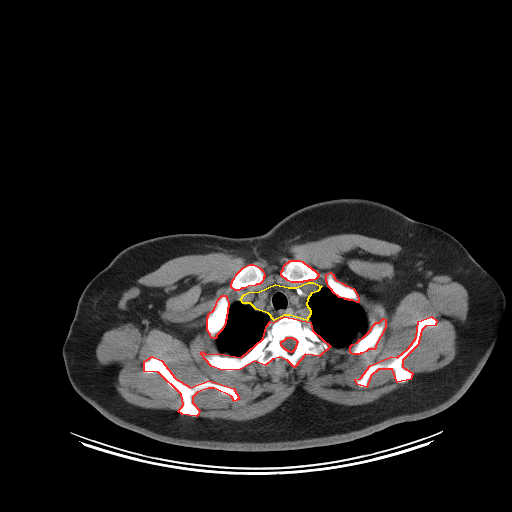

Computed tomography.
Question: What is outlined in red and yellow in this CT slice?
Answer: red: bones; yellow: mediastinum.
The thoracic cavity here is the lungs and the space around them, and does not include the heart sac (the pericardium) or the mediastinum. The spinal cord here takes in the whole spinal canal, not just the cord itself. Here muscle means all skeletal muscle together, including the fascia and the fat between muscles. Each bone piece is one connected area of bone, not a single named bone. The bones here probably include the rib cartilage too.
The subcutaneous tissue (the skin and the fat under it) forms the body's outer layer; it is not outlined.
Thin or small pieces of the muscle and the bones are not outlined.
Outlines:
bones 1: [[284,316],[310,322],[312,330],[330,346],[319,356],[305,354],[294,367],[287,360],[279,357],[272,359],[265,365],[254,361],[240,369],[222,370],[211,366],[200,353],[202,351],[205,354],[218,353],[241,357],[263,338],[266,326],[270,321],[273,322]], around a hole outlined by [[287,337],[292,337],[293,338],[294,338],[297,341],[297,342],[296,343],[296,345],[295,346],[295,348],[291,352],[290,352],[289,351],[288,351],[287,350],[286,350],[281,345],[281,341],[282,341],[283,340],[284,340]]
bones 2: [[152,356],[161,360],[175,378],[190,387],[209,380],[233,388],[239,398],[234,401],[231,396],[214,388],[208,388],[197,392],[192,397],[192,402],[199,410],[198,414],[196,416],[182,414],[178,411],[183,404],[181,394],[158,372],[144,371],[144,361]]
bones 3: [[431,316],[436,320],[435,325],[425,326],[421,330],[417,345],[402,360],[402,366],[412,373],[410,379],[397,382],[392,369],[378,369],[370,376],[366,387],[357,384],[355,379],[360,378],[370,365],[391,356],[397,357],[408,348],[416,337],[418,321]]
bones 4: [[290,260],[300,260],[302,261],[308,266],[309,266],[312,269],[313,269],[318,274],[318,276],[315,279],[313,280],[308,280],[307,281],[303,281],[302,282],[291,282],[287,280],[281,275],[281,271],[283,269],[283,267],[284,265]]
bones 5: [[222,295],[225,295],[226,296],[226,298],[228,302],[228,307],[227,308],[226,319],[225,320],[225,323],[221,330],[216,335],[216,337],[215,338],[213,338],[211,337],[210,334],[207,330],[207,317],[208,316],[208,314],[214,309],[218,299]]
bones 6: [[249,264],[253,264],[259,267],[262,270],[264,274],[264,276],[263,277],[263,279],[262,281],[259,284],[256,284],[255,285],[248,286],[244,288],[241,288],[238,290],[235,290],[231,287],[231,283],[232,282],[232,280],[234,278],[236,274],[243,267]]
bones 7: [[383,318],[385,319],[385,327],[375,345],[375,348],[374,349],[368,349],[366,351],[362,353],[360,353],[359,354],[353,354],[351,353],[350,352],[350,346],[352,344],[357,342],[359,340],[359,339],[362,338],[371,329],[372,326],[376,322],[379,322]]
bones 8: [[330,272],[333,274],[333,276],[336,280],[341,282],[345,285],[347,285],[353,288],[358,297],[358,302],[356,302],[352,300],[349,300],[348,299],[345,299],[344,298],[339,297],[332,291],[332,290],[328,286],[327,282],[326,281],[326,274]]
mediastinum: [[308,282],[313,282],[321,286],[317,291],[311,293],[307,299],[306,304],[310,310],[310,314],[306,320],[290,315],[284,315],[274,320],[268,313],[256,309],[250,303],[243,303],[240,299],[244,294],[248,292],[259,291],[275,284],[288,287],[296,287]]
thoracic cavity 1: [[322,286],[328,287],[339,298],[358,303],[361,306],[365,314],[367,321],[366,333],[362,337],[359,338],[357,341],[348,346],[336,347],[333,345],[330,345],[320,338],[312,328],[311,322],[309,320],[311,310],[308,307],[307,302],[310,295],[317,292]]
thoracic cavity 2: [[237,300],[240,300],[243,304],[250,304],[256,310],[268,314],[273,320],[273,321],[270,320],[266,324],[265,333],[262,338],[251,349],[241,356],[234,356],[228,354],[225,351],[221,351],[216,342],[217,335],[222,330],[226,323],[228,308],[232,303]]
torso: [[346,197],[383,202],[414,220],[446,231],[501,287],[505,311],[494,347],[455,403],[432,416],[394,424],[348,442],[279,451],[228,451],[169,444],[126,429],[106,418],[74,390],[62,347],[78,299],[92,278],[121,250],[174,233],[260,235],[304,206]]
muscle: [[338,233],[402,247],[393,261],[394,302],[423,292],[435,275],[465,287],[467,317],[444,367],[360,405],[298,388],[272,411],[235,421],[199,417],[193,402],[208,389],[237,402],[229,385],[206,379],[190,386],[152,355],[143,371],[161,375],[182,404],[177,411],[144,408],[127,402],[116,375],[99,363],[96,346],[113,327],[175,329],[160,317],[156,290],[136,282],[166,261],[223,250],[271,259],[292,244]] with holes at [[330,272],[355,291],[367,333],[385,319],[374,349],[353,354],[349,345],[331,345],[319,356],[303,355],[294,367],[279,357],[234,370],[213,367],[201,355],[228,353],[207,330],[208,314],[222,295],[229,306],[248,292],[275,284],[313,282],[327,287]] and at [[431,316],[436,320],[435,325],[425,326],[421,330],[417,345],[402,360],[402,366],[412,373],[410,379],[397,382],[392,369],[378,369],[370,376],[366,387],[357,384],[355,379],[360,378],[370,365],[391,356],[397,357],[408,348],[416,337],[418,321]] and at [[290,260],[300,260],[302,261],[308,266],[309,266],[312,269],[313,269],[318,274],[318,276],[315,279],[313,280],[308,280],[307,281],[303,281],[302,282],[291,282],[287,280],[281,275],[281,271],[283,269],[283,267],[284,265]] and at [[249,264],[253,264],[259,267],[262,270],[264,274],[264,276],[263,277],[263,279],[262,281],[259,284],[256,284],[255,285],[248,286],[244,288],[241,288],[238,290],[235,290],[231,287],[231,283],[232,282],[232,280],[234,278],[236,274],[243,267]]
spinal cord: [[287,337],[292,337],[293,338],[294,338],[297,341],[297,342],[296,343],[296,345],[295,346],[295,348],[291,352],[290,352],[289,351],[288,351],[287,350],[286,350],[281,345],[281,341],[282,341],[283,340],[284,340]]